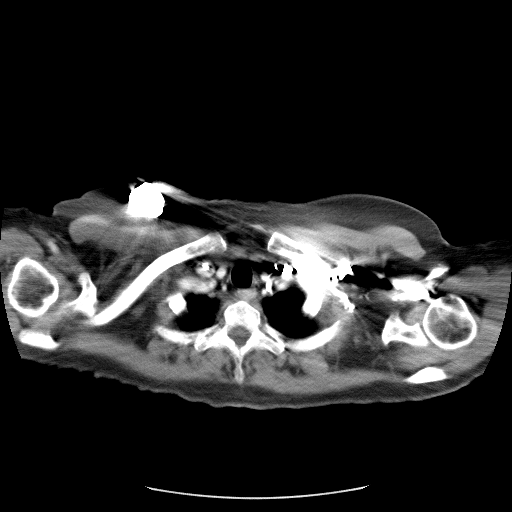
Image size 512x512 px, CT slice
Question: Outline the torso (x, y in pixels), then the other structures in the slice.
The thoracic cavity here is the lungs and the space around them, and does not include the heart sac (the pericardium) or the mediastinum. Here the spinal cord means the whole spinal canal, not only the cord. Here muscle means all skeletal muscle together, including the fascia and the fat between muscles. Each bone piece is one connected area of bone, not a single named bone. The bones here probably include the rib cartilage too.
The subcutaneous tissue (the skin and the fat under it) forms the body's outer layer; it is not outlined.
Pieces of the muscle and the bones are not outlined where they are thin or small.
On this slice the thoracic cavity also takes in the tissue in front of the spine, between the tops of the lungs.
Answer: {"torso":[[[136,176],[147,182],[161,179],[206,198],[297,202],[365,192],[421,210],[451,244],[468,242],[429,273],[418,305],[419,331],[448,377],[465,386],[420,401],[216,408],[23,359],[17,346],[51,350],[86,326],[92,277],[80,238],[52,206],[90,188]]],"bones":[{"outer":[[239,299],[259,308],[286,338],[306,337],[339,316],[341,332],[307,351],[286,348],[276,355],[252,349],[242,360],[244,377],[239,383],[235,361],[226,348],[198,352],[191,343],[169,341],[153,329],[155,324],[188,332],[209,327],[220,320],[226,302]],"hole":[[236,326],[241,326],[242,327],[243,327],[246,330],[247,330],[249,332],[249,336],[245,340],[245,341],[242,344],[241,344],[240,345],[239,345],[232,338],[231,338],[229,336],[229,335],[228,334],[229,331],[231,329],[232,329],[234,327],[235,327]]},[[209,232],[219,233],[226,242],[226,249],[170,266],[125,311],[108,323],[91,326],[84,324],[87,317],[80,312],[55,313],[62,300],[74,299],[80,293],[81,286],[77,278],[81,272],[87,272],[96,287],[95,306],[98,311],[109,304],[157,257]],[[449,294],[457,295],[466,302],[477,324],[477,333],[469,344],[445,350],[432,343],[427,347],[416,347],[400,341],[391,341],[387,345],[382,343],[381,332],[392,312],[398,312],[406,323],[411,324],[412,321],[420,320],[427,306],[439,296],[445,297]],[[24,256],[28,256],[32,259],[37,260],[40,262],[52,273],[58,280],[59,293],[56,302],[51,305],[43,315],[39,317],[29,317],[21,314],[8,303],[6,299],[6,296],[4,295],[6,289],[6,284],[9,280],[10,274],[15,263],[20,258]],[[274,230],[276,230],[279,232],[286,233],[290,235],[293,235],[305,240],[320,256],[317,258],[299,258],[298,257],[295,258],[292,256],[289,257],[282,256],[269,251],[267,249],[267,241],[270,236],[270,234],[271,234]],[[24,328],[32,328],[36,330],[44,330],[45,331],[48,330],[51,336],[57,342],[59,343],[59,346],[54,350],[46,350],[45,349],[42,349],[38,347],[34,347],[33,346],[31,346],[30,345],[22,343],[18,339],[18,334],[19,332]],[[426,366],[436,366],[437,367],[440,367],[442,368],[446,373],[448,377],[447,378],[443,379],[442,380],[438,380],[437,381],[430,381],[429,382],[420,383],[419,384],[410,384],[404,381],[404,379],[406,377],[414,373],[420,368],[422,367],[425,367]],[[175,291],[182,291],[182,293],[186,301],[186,306],[187,307],[187,310],[179,316],[175,316],[173,314],[172,311],[168,306],[168,304],[164,300],[166,296],[167,296],[170,293],[172,292],[174,292]],[[314,293],[316,293],[317,294],[318,297],[320,299],[322,303],[315,317],[313,318],[309,318],[305,316],[302,313],[301,311],[301,307],[302,306],[302,304],[303,302],[305,300],[306,295],[311,295]]],"muscle":[{"outer":[[89,211],[146,214],[220,227],[248,217],[333,221],[353,228],[387,222],[418,238],[426,250],[424,261],[439,261],[457,273],[469,266],[490,273],[507,266],[510,303],[490,352],[451,378],[442,367],[426,365],[403,379],[411,385],[379,381],[311,395],[210,381],[159,381],[106,357],[55,350],[60,343],[48,329],[24,327],[17,338],[12,335],[0,273],[2,232],[12,226],[25,231],[35,227],[68,240],[69,223]],"holes":[[[236,252],[292,264],[303,292],[316,293],[322,303],[313,318],[317,329],[339,316],[341,332],[307,351],[286,348],[276,355],[252,349],[242,360],[240,383],[226,348],[198,352],[191,343],[160,336],[155,324],[179,328],[166,296],[183,294],[204,259]],[[209,232],[219,233],[226,242],[226,249],[170,266],[125,311],[108,323],[91,326],[84,324],[87,317],[80,312],[55,313],[62,300],[74,299],[80,293],[81,286],[77,278],[81,272],[87,272],[96,287],[95,306],[98,311],[109,304],[157,257]],[[449,294],[457,295],[466,302],[477,324],[477,333],[469,344],[445,350],[432,343],[427,347],[416,347],[400,341],[391,341],[387,345],[382,343],[381,332],[392,312],[398,312],[406,323],[411,324],[412,321],[420,320],[427,306],[439,296],[445,297]],[[24,256],[28,256],[32,259],[37,260],[40,262],[52,273],[58,280],[59,293],[56,302],[51,305],[43,315],[39,317],[29,317],[21,314],[8,303],[6,299],[6,296],[4,295],[6,289],[6,284],[9,280],[10,274],[15,263],[20,258]],[[274,230],[276,230],[279,232],[286,233],[290,235],[293,235],[305,240],[320,256],[317,258],[299,258],[298,257],[295,258],[292,256],[289,257],[282,256],[269,251],[267,249],[267,241],[270,236],[270,234],[271,234]]]}],"left_arm":[[[501,236],[508,236],[511,240],[510,303],[501,328],[501,331],[497,335],[493,351],[491,353],[490,358],[483,372],[481,375],[469,384],[465,385],[459,383],[449,377],[420,331],[419,305],[422,299],[430,273],[469,242],[472,241],[483,242],[488,239]]],"thoracic_cavity":[[[236,252],[258,253],[292,264],[305,295],[300,311],[305,317],[313,319],[317,330],[303,337],[286,337],[264,318],[259,307],[246,298],[226,301],[219,320],[209,326],[191,331],[180,329],[176,320],[188,310],[184,291],[196,277],[201,262],[208,257]]],"spinal_cord":[[[236,326],[241,326],[242,327],[243,327],[246,330],[247,330],[249,332],[249,336],[245,340],[245,341],[242,344],[241,344],[240,345],[239,345],[232,338],[231,338],[229,336],[229,335],[228,334],[229,331],[231,329],[232,329],[234,327],[235,327]]],"right_arm":[[[7,205],[26,206],[42,214],[49,214],[52,212],[80,240],[82,250],[91,277],[85,326],[51,349],[23,349],[16,345],[12,335],[12,330],[4,302],[1,281],[2,276],[0,273],[0,236],[2,233],[2,222],[4,215],[4,209]]]}